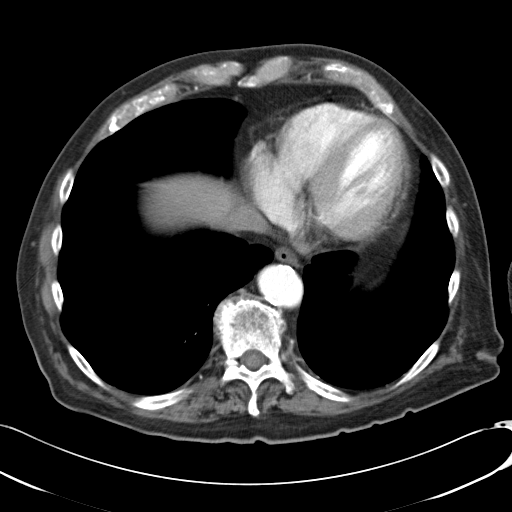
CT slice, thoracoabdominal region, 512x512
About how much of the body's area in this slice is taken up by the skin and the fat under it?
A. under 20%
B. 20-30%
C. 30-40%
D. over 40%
A. under 20%
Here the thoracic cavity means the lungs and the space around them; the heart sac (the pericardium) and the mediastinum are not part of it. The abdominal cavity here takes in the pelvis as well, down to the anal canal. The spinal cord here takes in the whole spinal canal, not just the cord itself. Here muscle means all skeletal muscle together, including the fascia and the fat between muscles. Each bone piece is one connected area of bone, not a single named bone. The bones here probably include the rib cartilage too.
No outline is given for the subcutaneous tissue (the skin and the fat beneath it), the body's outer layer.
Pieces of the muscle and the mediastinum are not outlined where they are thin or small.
The spinal cord is outlined by (248, 350) (257, 350) (259, 351) (262, 354) (263, 354) (263, 355) (266, 358) (267, 361) (265, 363) (262, 364) (257, 369) (255, 369) (253, 370) (252, 369) (250, 369) (248, 368) (243, 363) (240, 362) (240, 358) (241, 356) (246, 351). The torso is outlined by (296, 42) (338, 47) (382, 66) (425, 105) (455, 144) (484, 222) (495, 322) (504, 341) (499, 374) (395, 420) (333, 437) (274, 445) (260, 440) (243, 444) (177, 441) (63, 406) (52, 396) (25, 333) (15, 279) (21, 239) (56, 156) (103, 98) (156, 65) (200, 51). The left arm is outlined by (510, 262) (511, 262) (511, 310) (510, 310) (510, 309) (509, 308) (509, 302) (508, 301) (508, 292) (507, 291) (507, 278) (506, 277) (506, 276) (507, 275) (507, 270) (508, 269) (508, 266) (509, 265) (509, 264) (510, 263). The muscle appears in 3 outlined pieces: piece 1: (221, 60) (233, 60) (215, 65) (194, 66) (191, 67) (188, 70) (196, 83) (209, 87) (173, 101) (179, 86) (175, 82) (165, 83) (113, 111) (100, 129) (97, 143) (84, 158) (75, 175) (70, 167) (58, 190) (62, 206) (61, 220) (55, 224) (50, 236) (51, 249) (57, 257) (57, 279) (51, 281) (50, 291) (60, 313) (61, 329) (69, 341) (65, 346) (67, 352) (76, 366) (103, 389) (107, 390) (109, 384) (139, 395) (131, 401) (132, 406) (154, 411) (185, 399) (193, 388) (182, 386) (203, 374) (220, 348) (224, 358) (219, 385) (222, 387) (233, 380) (241, 380) (249, 389) (246, 407) (248, 414) (200, 423) (142, 417) (80, 391) (54, 367) (41, 332) (36, 306) (38, 242) (59, 176) (79, 157) (94, 133) (116, 107) (170, 74) (202, 63); piece 2: (450, 175) (462, 210) (467, 241) (462, 280) (467, 322) (463, 360) (447, 364) (405, 391) (358, 410) (325, 416) (280, 411) (259, 415) (257, 390) (269, 378) (280, 382) (290, 395) (296, 389) (296, 376) (318, 395) (347, 403) (354, 398) (342, 389) (367, 390) (396, 380) (389, 388) (395, 389) (411, 380) (435, 357) (441, 344) (438, 337) (448, 318) (448, 306) (461, 281) (461, 271) (454, 267) (459, 218) (451, 205) (446, 206) (443, 190) (450, 184); piece 3: (278, 55) (291, 55) (303, 59) (307, 59) (312, 56) (335, 58) (349, 62) (364, 69) (371, 74) (389, 93) (402, 113) (414, 128) (419, 139) (428, 148) (432, 150) (436, 154) (432, 152) (428, 157) (422, 152) (412, 138) (408, 135) (400, 125) (398, 118) (394, 114) (395, 106) (392, 100) (390, 99) (386, 92) (371, 77) (361, 70) (353, 68) (339, 62) (330, 62) (323, 64) (321, 66) (321, 70) (323, 75) (327, 79) (333, 81) (325, 81) (324, 80) (321, 81) (288, 81) (287, 80) (286, 81) (285, 80) (280, 80) (279, 79) (286, 77) (291, 71) (292, 59) (288, 55) (279, 55) (273, 57) (258, 65) (253, 71) (250, 72) (247, 72) (245, 70) (244, 66) (241, 63) (251, 67) (254, 66) (262, 59). The mediastinum appears in 2 outlined pieces: piece 1: (276, 80) (353, 86) (377, 109) (359, 96) (328, 93) (288, 103) (250, 128) (242, 154) (242, 188) (247, 200) (299, 255) (346, 249) (314, 255) (303, 268) (295, 323) (296, 356) (295, 341) (290, 338) (286, 346) (283, 343) (287, 322) (281, 309) (256, 298) (241, 296) (233, 301) (227, 297) (250, 282) (274, 257) (270, 248) (239, 236) (243, 192) (231, 178) (232, 152) (246, 110) (236, 101) (221, 97) (178, 100) (233, 81) (238, 87) (257, 88); piece 2: (404, 131) (421, 151) (421, 154) (419, 157) (421, 173) (418, 188) (419, 189) (414, 205) (414, 211) (410, 211) (403, 219) (394, 226) (394, 224) (398, 221) (406, 205) (406, 201) (408, 199) (408, 195) (412, 187) (414, 179) (415, 167) (412, 151) (410, 148) (410, 143). The bones appear in 13 outlined pieces: piece 1: (241, 297) (281, 310) (286, 322) (283, 347) (292, 339) (297, 362) (308, 373) (353, 399) (345, 402) (324, 397) (296, 375) (290, 394) (280, 381) (269, 377) (256, 390) (259, 414) (249, 414) (248, 385) (241, 379) (219, 383) (225, 355) (213, 323) (222, 300) (235, 302) with a hole at (248, 350) (257, 350) (259, 351) (262, 354) (263, 354) (263, 355) (266, 358) (267, 361) (265, 363) (262, 364) (257, 369) (255, 369) (253, 370) (252, 369) (250, 369) (248, 368) (243, 363) (240, 362) (240, 358) (241, 356) (246, 351); piece 2: (279, 56) (288, 56) (291, 59) (289, 73) (286, 76) (257, 87) (238, 86) (236, 84) (235, 77) (232, 78) (229, 84) (199, 84) (196, 82) (195, 76) (189, 70) (194, 67) (201, 68) (215, 66) (224, 61) (236, 61) (243, 66) (247, 73) (250, 73) (263, 63); piece 3: (172, 83) (175, 83) (178, 86) (178, 90) (172, 101) (145, 111) (130, 120) (125, 125) (112, 134) (98, 141) (101, 129) (107, 123) (108, 119) (113, 112) (119, 110) (126, 103) (128, 103) (135, 98) (137, 98) (144, 94) (147, 94) (165, 84) (171, 84); piece 4: (330, 63) (339, 63) (353, 69) (359, 70) (371, 78) (385, 92) (386, 95) (393, 103) (394, 106) (393, 114) (397, 118) (399, 124) (383, 113) (379, 109) (376, 108) (368, 97) (357, 87) (353, 85) (337, 82) (327, 78) (323, 73) (322, 66) (325, 64) (329, 64); piece 5: (181, 387) (191, 387) (192, 388) (192, 391) (185, 398) (169, 406) (166, 406) (159, 409) (151, 410) (150, 409) (144, 409) (143, 408) (136, 407) (131, 404) (132, 401) (138, 396) (150, 396) (151, 395) (164, 394) (165, 393) (173, 391) (176, 389) (178, 389); piece 6: (437, 338) (439, 338) (440, 339) (439, 348) (438, 349) (438, 351) (436, 353) (434, 357) (429, 362) (429, 363) (422, 370) (421, 370) (416, 375) (415, 375) (408, 381) (404, 383) (402, 383) (395, 388) (390, 388) (415, 363) (415, 362) (420, 357) (420, 356); piece 7: (69, 343) (70, 343) (83, 356) (83, 357) (88, 362) (88, 363) (91, 366) (91, 367) (97, 374) (97, 375) (104, 382) (105, 382) (107, 386) (107, 389) (103, 388) (101, 386) (98, 385) (92, 380) (91, 380) (77, 366) (68, 352) (68, 350) (66, 346) (67, 344); piece 8: (432, 153) (436, 155) (441, 160) (441, 161) (444, 164) (444, 165) (446, 167) (448, 171) (448, 173) (449, 174) (449, 184) (445, 187) (442, 187) (441, 186) (440, 183) (438, 181) (432, 169) (432, 166) (429, 160) (429, 157); piece 9: (70, 168) (72, 169) (74, 173) (74, 179) (73, 180) (73, 183) (72, 184) (72, 186) (71, 187) (69, 195) (66, 201) (63, 204) (63, 205) (62, 205) (60, 203) (60, 200) (59, 199) (59, 190) (60, 189) (60, 186) (61, 185) (62, 180) (65, 174); piece 10: (447, 206) (451, 206) (453, 208) (458, 218) (458, 223) (459, 224) (459, 227) (458, 228) (458, 232) (457, 233) (457, 236) (455, 238) (453, 238) (448, 228) (448, 226) (447, 225) (447, 221) (446, 220) (446, 207); piece 11: (454, 268) (456, 268) (457, 269) (458, 269) (460, 271) (460, 281) (459, 282) (459, 286) (458, 287) (458, 289) (457, 290) (454, 297) (452, 299) (452, 301) (451, 302) (451, 303) (450, 304) (448, 304) (448, 284) (449, 283) (449, 280) (450, 279) (451, 274) (452, 273); piece 12: (58, 223) (60, 224) (61, 226) (61, 232) (62, 233) (62, 240) (61, 241) (61, 248) (58, 253) (58, 256) (56, 256) (54, 254) (53, 250) (52, 249) (52, 246) (51, 245) (51, 236) (52, 235) (52, 232) (53, 231) (54, 227) (56, 225) (56, 224); piece 13: (55, 279) (56, 279) (58, 281) (60, 285) (60, 287) (61, 288) (61, 291) (62, 292) (62, 294) (63, 295) (63, 303) (62, 304) (62, 309) (61, 310) (61, 312) (60, 312) (58, 310) (55, 304) (55, 302) (53, 299) (52, 292) (51, 291) (51, 283) (52, 281). The thoracic cavity appears in 2 outlined pieces: piece 1: (204, 98) (232, 100) (245, 110) (232, 141) (232, 173) (187, 169) (138, 182) (141, 225) (164, 238) (195, 230) (230, 234) (270, 249) (273, 257) (216, 306) (213, 334) (220, 347) (205, 371) (173, 390) (140, 395) (104, 381) (62, 329) (62, 210) (98, 142) (154, 108); piece 2: (422, 153) (442, 188) (446, 225) (453, 239) (454, 264) (447, 284) (445, 324) (399, 378) (367, 389) (334, 386) (314, 376) (298, 362) (296, 323) (304, 291) (304, 268) (319, 254) (353, 251) (357, 259) (349, 274) (349, 288) (369, 291) (381, 284) (408, 239) (420, 189). The abdominal cavity appears in 2 outlined pieces: piece 1: (187, 170) (199, 170) (202, 172) (224, 176) (226, 178) (230, 177) (234, 185) (242, 192) (241, 205) (238, 211) (238, 227) (240, 233) (238, 236) (207, 229) (195, 229) (171, 237) (164, 237) (153, 235) (144, 228) (138, 215) (136, 206) (137, 184) (154, 176); piece 2: (410, 212) (414, 212) (411, 218) (411, 224) (407, 239) (397, 260) (385, 278) (381, 283) (373, 289) (368, 290) (362, 287) (351, 289) (350, 288) (351, 285) (350, 274) (358, 257) (368, 248) (373, 248) (377, 246) (378, 245) (375, 243) (387, 235) (390, 230) (403, 220). The pericardium is outlined by (328, 94) (359, 97) (370, 108) (381, 112) (399, 125) (409, 143) (414, 167) (413, 179) (405, 205) (397, 221) (387, 234) (371, 245) (360, 250) (337, 248) (299, 254) (286, 240) (285, 236) (272, 226) (261, 212) (248, 200) (243, 188) (243, 154) (254, 123) (288, 104).